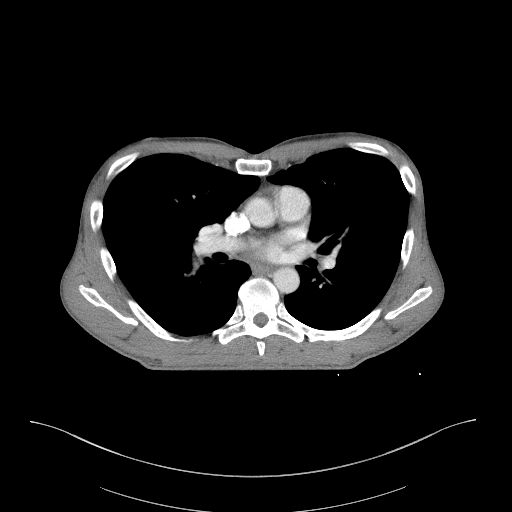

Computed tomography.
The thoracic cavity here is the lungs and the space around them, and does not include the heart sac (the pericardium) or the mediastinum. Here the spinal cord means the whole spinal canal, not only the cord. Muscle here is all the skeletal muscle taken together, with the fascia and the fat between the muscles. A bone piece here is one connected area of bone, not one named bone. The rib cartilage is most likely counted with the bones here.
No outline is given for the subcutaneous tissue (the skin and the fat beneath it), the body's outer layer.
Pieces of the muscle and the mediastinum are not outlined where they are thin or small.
Outlines:
pericardium: 266 184; 295 186; 304 190; 310 198; 310 202; 311 203; 311 219; 309 227; 299 255; 297 259; 292 263; 272 264; 267 262; 250 261; 243 258; 231 249; 228 246; 225 239; 224 224; 226 218; 248 196; 255 192; 261 186
mediastinum 1: 224 230; 224 239; 227 246; 237 255; 250 262; 272 265; 294 263; 300 255; 305 240; 303 257; 295 266; 300 278; 298 288; 285 295; 283 300; 274 284; 268 278; 264 276; 249 277; 251 274; 249 265; 239 260; 226 248; 224 243
mediastinum 2: 258 176; 267 176; 266 177; 266 178; 267 179; 267 180; 269 182; 270 182; 271 183; 272 183; 266 183; 265 184; 263 184; 262 185; 261 185; 255 191; 254 191; 254 190; 258 186; 258 185; 259 184; 259 178; 258 177
torso: 340 130; 367 132; 395 142; 413 160; 422 179; 427 234; 444 280; 445 295; 435 315; 401 344; 349 370; 160 371; 148 369; 107 347; 64 309; 59 282; 76 242; 83 197; 95 171; 117 148; 147 136; 207 136; 257 153; 290 137
muscle: 339 136; 370 137; 387 142; 407 159; 418 178; 422 235; 439 278; 440 294; 433 309; 394 341; 340 365; 163 366; 108 341; 68 306; 64 280; 82 240; 87 197; 109 160; 139 143; 211 142; 251 157; 237 157; 234 170; 182 151; 137 158; 140 153; 135 150; 110 164; 105 178; 113 178; 102 200; 91 201; 89 222; 94 233; 101 228; 105 244; 98 250; 101 264; 109 280; 113 282; 117 275; 130 294; 125 300; 134 316; 117 310; 91 286; 80 283; 79 293; 125 324; 135 327; 140 322; 163 340; 189 343; 192 337; 174 334; 210 334; 226 345; 238 337; 251 336; 256 340; 260 357; 266 348; 264 339; 271 335; 295 343; 301 343; 306 337; 313 343; 342 341; 361 335; 380 316; 383 309; 378 305; 400 262; 404 269; 410 259; 415 238; 414 228; 408 226; 409 194; 415 196; 417 191; 414 173; 405 162; 396 166; 383 145; 362 140; 350 140; 346 143; 348 147; 313 153; 272 172; 273 162; 269 158; 255 158; 286 144 with a hole at 426 286; 431 286; 432 288; 432 292; 428 297; 427 297; 419 303; 416 304; 414 306; 404 310; 392 319; 385 319; 384 318; 384 316; 387 312; 388 312; 392 309; 396 308; 398 306; 402 304; 418 288; 420 288; 421 287; 425 287
bones 1: 254 277; 268 279; 288 312; 313 328; 343 329; 377 306; 382 309; 364 332; 351 338; 311 342; 306 336; 301 342; 295 342; 271 334; 263 339; 265 348; 260 356; 257 340; 251 335; 238 336; 226 344; 211 335; 233 313; 241 284 with a hole at 259 313; 263 313; 267 317; 267 321; 263 325; 262 325; 261 326; 260 326; 259 325; 258 325; 257 324; 256 324; 254 322; 254 317; 257 314; 258 314
bones 2: 80 284; 95 289; 110 305; 126 316; 135 316; 126 300; 128 298; 132 298; 163 328; 177 337; 190 337; 193 339; 189 342; 167 340; 156 336; 140 321; 135 326; 125 323; 108 309; 101 306; 96 306; 89 302; 80 293; 78 288
bones 3: 237 158; 254 158; 255 159; 269 159; 272 162; 272 169; 271 170; 271 171; 267 175; 255 175; 254 174; 240 174; 239 173; 238 173; 235 170; 235 168; 234 167; 234 162; 235 161; 235 160
bones 4: 426 286; 431 286; 432 288; 432 292; 428 297; 427 297; 419 303; 416 304; 414 306; 404 310; 392 319; 385 319; 384 318; 384 316; 387 312; 388 312; 392 309; 396 308; 398 306; 402 304; 418 288; 420 288; 421 287; 425 287
bones 5: 350 141; 362 141; 363 142; 372 142; 373 143; 377 143; 387 149; 389 151; 389 155; 386 157; 385 156; 382 156; 381 155; 378 155; 373 153; 368 153; 367 152; 364 152; 363 151; 360 151; 359 150; 354 149; 348 146; 347 143
bones 6: 135 151; 137 151; 139 153; 136 159; 135 159; 124 169; 123 169; 120 172; 119 172; 114 177; 111 177; 110 178; 106 178; 106 174; 111 164; 117 158; 121 156; 123 156; 126 154; 128 154; 129 153; 134 152
bones 7: 408 227; 412 227; 413 228; 414 238; 413 239; 413 244; 412 245; 412 248; 411 249; 411 252; 409 256; 408 262; 406 266; 404 268; 402 268; 401 261; 400 260; 400 257; 401 256; 401 248; 402 247; 403 237; 404 236; 405 231
bones 8: 94 199; 99 199; 101 200; 102 201; 102 205; 103 206; 103 211; 102 212; 102 219; 101 220; 101 225; 100 227; 96 231; 94 232; 92 230; 92 228; 91 227; 91 223; 90 222; 90 206; 91 205; 91 203; 92 201
bones 9: 403 163; 405 163; 408 165; 411 171; 413 173; 413 175; 415 178; 415 190; 416 191; 415 192; 415 195; 412 195; 410 194; 407 191; 403 183; 403 181; 401 178; 400 173; 397 167; 399 165
bones 10: 103 246; 105 246; 107 248; 108 251; 110 253; 112 257; 112 259; 114 262; 115 267; 116 268; 116 275; 113 281; 111 281; 110 280; 107 273; 104 269; 104 267; 101 261; 101 258; 100 257; 100 253; 99 252; 99 250; 100 248
spinal cord: 259 313; 263 313; 267 317; 267 321; 263 325; 262 325; 261 326; 260 326; 259 325; 258 325; 257 324; 256 324; 254 322; 254 317; 257 314; 258 314
thoracic cavity 1: 172 152; 182 152; 240 175; 254 175; 258 178; 258 184; 253 191; 223 221; 225 248; 248 265; 250 274; 238 287; 237 302; 230 316; 210 333; 179 335; 169 331; 149 315; 132 297; 117 274; 101 227; 103 199; 112 180; 139 158
thoracic cavity 2: 338 148; 351 148; 387 158; 397 168; 408 193; 408 215; 400 261; 381 300; 353 324; 324 329; 313 327; 295 317; 284 302; 285 296; 295 292; 301 283; 296 266; 305 253; 312 220; 311 198; 301 187; 276 184; 267 177; 313 154